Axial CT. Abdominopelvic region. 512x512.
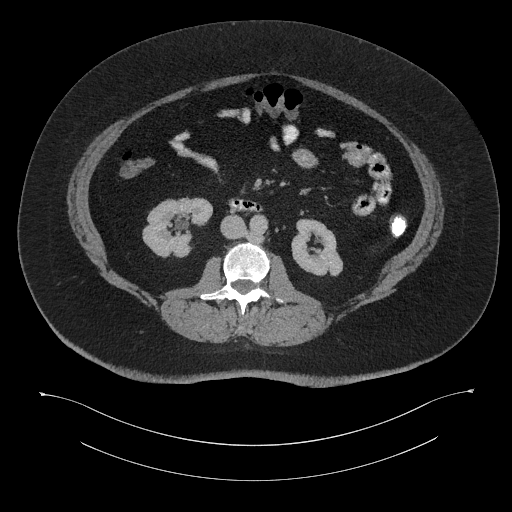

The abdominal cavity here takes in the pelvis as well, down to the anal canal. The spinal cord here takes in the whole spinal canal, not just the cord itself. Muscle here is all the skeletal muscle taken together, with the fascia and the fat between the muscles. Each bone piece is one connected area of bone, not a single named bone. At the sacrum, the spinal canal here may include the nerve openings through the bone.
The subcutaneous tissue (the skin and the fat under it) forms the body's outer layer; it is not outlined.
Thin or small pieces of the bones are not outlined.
The bones are outlined by 242,242 256,244 267,253 270,261 269,270 260,285 271,296 270,298 261,297 255,302 250,302 243,315 240,314 240,306 235,300 205,300 199,296 201,293 213,292 225,283 226,279 222,270 223,258 232,246; inner edge: 237,280 249,280 250,281 251,281 255,285 255,286 252,289 251,289 250,290 249,290 246,293 241,293 240,292 239,292 235,288 234,288 232,286 232,283 233,283 235,281 236,281. The muscle is outlined by 271,70 281,71 318,80 354,96 383,115 416,144 432,164 440,183 444,206 443,228 435,246 428,256 413,272 408,274 397,283 396,285 397,289 394,292 381,299 363,305 355,311 349,313 338,322 333,323 321,335 309,341 287,347 266,347 263,345 258,345 241,336 238,336 227,341 215,343 198,342 188,339 173,331 161,319 160,314 153,308 146,306 133,295 109,283 99,274 99,269 85,254 85,251 79,244 69,223 67,214 66,194 70,175 87,146 99,133 118,119 124,116 130,115 149,102 177,90 204,81 209,81 216,78 244,73 255,73 with holes at 269,75 352,106 402,144 424,201 410,243 367,287 325,302 298,290 281,256 268,251 260,285 271,297 250,302 243,315 235,300 199,296 225,283 220,255 196,283 163,293 120,274 90,213 100,160 155,108 and at 275,297 276,297 277,297 278,297 279,297 280,298 281,298 282,298 283,299 284,299 284,300 284,301 284,302 283,302 282,303 281,303 280,303 279,303 278,302 277,302 276,301 275,300 275,299 274,298. The spinal cord is outlined by 237,280 249,280 250,281 251,281 255,285 255,286 252,289 251,289 250,290 249,290 246,293 241,293 240,292 239,292 235,288 234,288 232,286 232,283 233,283 235,281 236,281. The abdominal cavity is outlined by 269,75 291,78 352,106 402,144 424,201 410,243 383,264 367,287 325,302 298,290 281,256 251,241 237,242 222,258 210,257 191,286 155,293 120,274 90,213 90,182 100,160 130,124 155,108 192,92. The torso is outlined by 242,19 303,21 385,47 447,86 478,129 499,198 497,273 477,323 439,357 399,373 332,387 250,376 149,383 121,376 80,355 54,333 36,307 19,261 17,218 32,151 55,106 89,69 128,45 174,29.